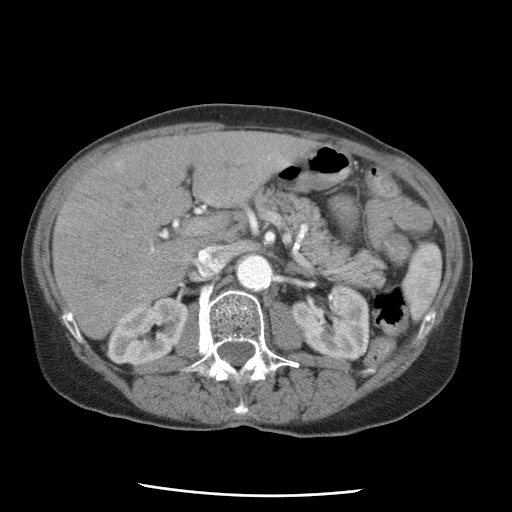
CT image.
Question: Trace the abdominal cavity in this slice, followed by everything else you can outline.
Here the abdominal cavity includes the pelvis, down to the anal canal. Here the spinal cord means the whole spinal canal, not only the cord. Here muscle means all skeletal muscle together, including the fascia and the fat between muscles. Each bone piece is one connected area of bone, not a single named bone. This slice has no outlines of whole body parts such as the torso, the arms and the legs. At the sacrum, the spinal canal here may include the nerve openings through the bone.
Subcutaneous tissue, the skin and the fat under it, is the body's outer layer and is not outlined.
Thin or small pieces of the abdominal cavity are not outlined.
Answer: The abdominal cavity is outlined by [[234,127],[334,142],[390,167],[431,208],[447,256],[441,291],[384,361],[357,369],[305,351],[282,302],[268,308],[273,351],[259,299],[238,288],[205,307],[201,357],[192,302],[178,344],[129,370],[101,357],[65,311],[48,239],[77,181],[116,148]]. The muscle is outlined by [[197,121],[216,121],[230,125],[254,123],[272,126],[292,126],[300,129],[326,132],[345,137],[354,141],[358,141],[383,152],[405,157],[415,162],[433,179],[451,206],[458,222],[464,252],[463,271],[453,301],[442,323],[431,334],[423,351],[417,359],[400,376],[393,381],[374,390],[346,408],[315,421],[305,423],[292,421],[285,424],[274,424],[258,422],[253,419],[235,419],[219,424],[205,424],[194,420],[181,421],[171,419],[163,416],[158,416],[140,409],[134,405],[117,388],[104,380],[98,373],[91,369],[74,354],[64,334],[64,328],[58,322],[44,300],[33,268],[32,242],[34,230],[45,197],[58,177],[74,161],[103,142],[116,136],[146,128],[182,122]] with holes at [[234,127],[334,142],[390,167],[421,194],[447,256],[425,337],[357,369],[305,351],[290,309],[274,302],[274,352],[300,365],[237,384],[180,370],[200,357],[194,302],[178,344],[137,368],[124,370],[71,335],[48,259],[52,220],[71,188],[116,148]] and at [[241,399],[244,402],[244,404],[248,408],[248,411],[246,413],[245,413],[244,414],[238,414],[237,413],[235,413],[234,412],[234,411],[233,410],[233,409],[239,403],[239,402],[240,401],[240,400]]. The bones appear in 4 outlined pieces: piece 1: [[229,289],[243,290],[258,299],[264,315],[266,345],[276,354],[298,362],[300,365],[298,367],[280,366],[273,377],[267,375],[265,379],[247,381],[241,384],[237,384],[233,380],[217,381],[195,371],[180,370],[205,354],[207,347],[206,307],[221,292]]; inner edge: [[230,342],[237,342],[238,343],[241,343],[242,342],[247,342],[251,344],[254,347],[254,353],[253,355],[248,358],[245,361],[245,362],[239,367],[235,367],[233,366],[228,361],[221,358],[218,353],[218,348],[220,346],[225,343],[229,343]]; piece 2: [[65,312],[67,312],[68,313],[71,314],[71,317],[73,319],[79,333],[82,336],[82,337],[85,341],[85,342],[84,343],[80,343],[79,342],[78,342],[67,330],[67,329],[64,325],[64,324],[63,323],[63,321],[61,318],[61,316],[62,316]]; piece 3: [[433,310],[434,310],[436,312],[436,315],[435,316],[434,323],[432,326],[432,328],[431,330],[425,337],[424,337],[422,339],[417,340],[416,339],[416,336],[422,325],[422,323],[423,321],[426,318],[428,314],[429,314],[430,312],[431,312]]; piece 4: [[241,399],[244,402],[244,404],[248,408],[248,411],[246,413],[245,413],[244,414],[238,414],[237,413],[235,413],[234,412],[234,411],[233,410],[233,409],[239,403],[239,402],[240,401],[240,400]]. The spinal cord is outlined by [[230,342],[237,342],[238,343],[241,343],[242,342],[247,342],[251,344],[254,347],[254,353],[253,355],[248,358],[245,361],[245,362],[239,367],[235,367],[233,366],[228,361],[221,358],[218,353],[218,348],[220,346],[225,343],[229,343]].